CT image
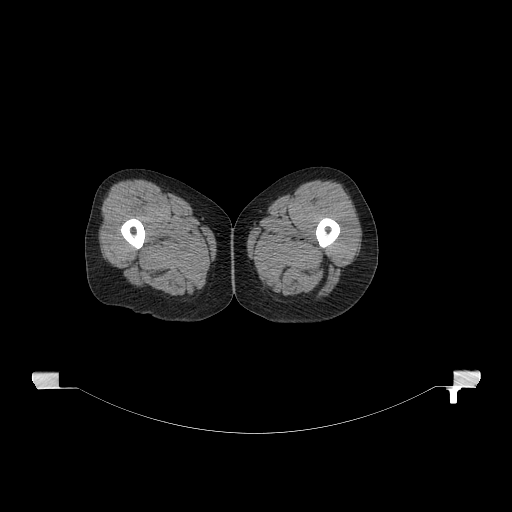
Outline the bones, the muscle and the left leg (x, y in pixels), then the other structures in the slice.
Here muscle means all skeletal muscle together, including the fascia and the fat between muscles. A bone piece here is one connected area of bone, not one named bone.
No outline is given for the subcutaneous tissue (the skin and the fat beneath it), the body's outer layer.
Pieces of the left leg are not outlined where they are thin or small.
{"bones":[[[132,217],[134,217],[135,218],[137,218],[139,219],[143,224],[143,226],[145,230],[145,238],[144,239],[144,242],[142,246],[138,249],[132,246],[123,237],[120,231],[120,228],[123,222],[124,222],[126,220]],[[324,217],[329,217],[335,220],[339,224],[339,226],[340,227],[340,231],[339,232],[339,234],[337,238],[331,244],[323,248],[321,247],[318,243],[318,241],[316,238],[316,235],[315,234],[315,230],[316,229],[316,226],[318,222],[322,218]]],"muscle":[{"outer":[[314,179],[333,179],[341,183],[346,189],[355,207],[362,230],[360,252],[356,259],[344,268],[339,282],[331,293],[322,300],[311,303],[278,301],[260,288],[247,255],[246,238],[251,228],[264,216],[268,206],[274,200],[279,196],[292,191],[300,184]],"hole":[[324,217],[329,217],[335,220],[339,224],[339,226],[340,227],[340,231],[339,232],[339,234],[337,238],[331,244],[323,248],[321,247],[318,243],[318,241],[316,238],[316,235],[315,234],[315,230],[316,229],[316,226],[318,222],[322,218]]},{"outer":[[135,178],[151,181],[187,201],[193,210],[193,215],[202,224],[208,226],[214,234],[216,241],[215,259],[210,264],[204,287],[197,296],[190,300],[181,301],[134,287],[126,281],[121,271],[106,261],[101,254],[98,231],[103,219],[102,202],[114,183]],"hole":[[132,217],[134,217],[135,218],[137,218],[139,219],[143,224],[143,226],[145,230],[145,238],[144,239],[144,242],[142,246],[138,249],[132,246],[123,237],[120,231],[120,228],[123,222],[124,222],[126,220]]}],"left_leg":[[[310,166],[329,166],[337,168],[346,173],[356,183],[370,208],[376,224],[379,248],[378,264],[372,281],[364,294],[350,309],[343,314],[333,319],[318,323],[276,323],[244,308],[234,296],[232,224],[235,223],[242,209],[257,194],[274,181],[288,173]]],"right_leg":[[[125,168],[145,168],[174,177],[209,197],[226,212],[230,218],[232,234],[233,297],[229,304],[221,311],[197,322],[170,322],[154,318],[148,314],[135,313],[128,308],[106,305],[96,299],[92,294],[86,278],[84,236],[93,197],[97,187],[107,176]]]}